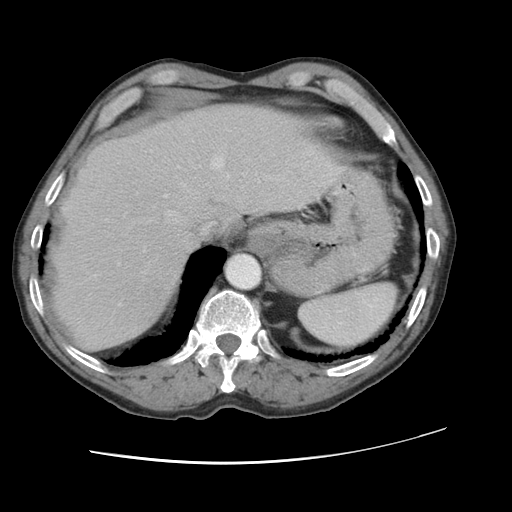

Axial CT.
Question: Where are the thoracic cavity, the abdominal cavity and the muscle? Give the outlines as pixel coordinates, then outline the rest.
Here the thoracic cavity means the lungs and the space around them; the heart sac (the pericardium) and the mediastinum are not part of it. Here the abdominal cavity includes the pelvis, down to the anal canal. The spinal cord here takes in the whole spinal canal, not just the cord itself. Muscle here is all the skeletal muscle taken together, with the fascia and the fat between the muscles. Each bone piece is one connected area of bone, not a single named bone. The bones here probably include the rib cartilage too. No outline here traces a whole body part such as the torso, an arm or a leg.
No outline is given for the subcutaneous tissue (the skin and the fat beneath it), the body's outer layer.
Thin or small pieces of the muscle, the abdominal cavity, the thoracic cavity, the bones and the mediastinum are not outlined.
Answer: The thoracic cavity appears in 3 outlined pieces: piece 1: (208, 246) (222, 248) (226, 252) (226, 257) (220, 272) (211, 282) (201, 301) (193, 326) (188, 331) (180, 348) (171, 355) (147, 364) (116, 366) (98, 359) (97, 356) (114, 354) (139, 342) (163, 325) (170, 317) (176, 298) (182, 288) (183, 277) (191, 256) (198, 250); piece 2: (412, 292) (411, 301) (405, 316) (395, 327) (389, 338) (373, 352) (352, 357) (336, 363) (326, 363) (297, 358) (288, 355) (282, 349) (290, 348) (316, 355) (337, 355) (351, 352) (356, 348) (365, 346) (369, 342) (375, 340) (388, 329) (392, 320) (406, 303) (408, 297); piece 3: (400, 162) (404, 162) (412, 174) (413, 180) (418, 190) (423, 205) (424, 212) (423, 228) (425, 232) (426, 255) (424, 259) (422, 272) (414, 290) (414, 283) (418, 277) (422, 262) (420, 224) (416, 217) (412, 204) (406, 192) (402, 189) (399, 182) (397, 170) (398, 164). The abdominal cavity is outlined by (171, 84) (310, 90) (305, 97) (315, 102) (276, 106) (314, 144) (402, 160) (396, 175) (419, 224) (421, 262) (383, 333) (337, 354) (281, 347) (260, 315) (256, 254) (212, 245) (190, 256) (169, 317) (139, 341) (96, 358) (56, 331) (38, 281) (50, 206) (94, 134). The muscle is outlined by (166, 62) (238, 81) (295, 62) (331, 65) (354, 78) (396, 121) (433, 179) (449, 233) (428, 319) (392, 362) (358, 384) (304, 406) (274, 407) (232, 392) (240, 361) (259, 362) (261, 352) (281, 357) (269, 333) (285, 354) (301, 360) (336, 364) (364, 355) (325, 368) (329, 377) (347, 376) (372, 363) (378, 357) (375, 351) (406, 316) (426, 256) (436, 260) (440, 252) (439, 235) (431, 226) (424, 228) (424, 207) (433, 204) (432, 195) (424, 179) (394, 150) (398, 141) (392, 125) (338, 78) (326, 78) (322, 86) (347, 104) (302, 88) (312, 79) (306, 70) (291, 72) (288, 87) (217, 88) (176, 83) (180, 72) (174, 68) (153, 72) (147, 79) (157, 86) (153, 89) (143, 94) (134, 85) (102, 108) (85, 149) (48, 188) (47, 218) (30, 235) (30, 247) (38, 255) (37, 277) (31, 274) (28, 279) (29, 297) (67, 342) (62, 346) (69, 355) (102, 374) (111, 373) (102, 362) (132, 367) (158, 361) (171, 366) (193, 355) (204, 368) (216, 355) (222, 393) (189, 409) (149, 409) (81, 376) (45, 344) (28, 315) (18, 275) (28, 215) (95, 105) (127, 78); inner edge: (421, 286) (425, 286) (426, 287) (426, 295) (425, 296) (425, 299) (424, 300) (423, 305) (419, 313) (415, 318) (412, 324) (408, 328) (406, 328) (406, 321) (407, 320) (407, 315) (412, 305) (412, 303) (414, 302) (414, 298) (416, 294) (418, 292) (418, 290). The bones appear in 12 outlined pieces: piece 1: (226, 288) (244, 294) (253, 302) (270, 342) (280, 354) (279, 358) (275, 358) (261, 351) (259, 361) (240, 360) (231, 376) (235, 387) (229, 393) (220, 388) (224, 376) (216, 354) (209, 357) (204, 367) (195, 361) (193, 354) (171, 365) (159, 362) (185, 343) (202, 301), around a hole outlined by (224, 334) (232, 334) (233, 335) (235, 335) (236, 336) (237, 336) (240, 339) (240, 343) (237, 347) (237, 348) (229, 354) (228, 354) (224, 351) (223, 351) (218, 346) (218, 345) (216, 342) (216, 338) (218, 336) (219, 336) (220, 335) (223, 335); piece 2: (330, 78) (335, 78) (344, 82) (378, 110) (391, 125) (395, 133) (397, 141) (397, 145) (395, 148) (391, 147) (380, 139) (376, 135) (375, 132) (366, 120) (357, 111) (351, 106) (348, 105) (347, 102) (336, 96) (334, 97) (328, 94) (325, 91) (323, 86) (323, 81); piece 3: (134, 86) (138, 86) (141, 88) (142, 90) (142, 95) (141, 97) (137, 101) (116, 116) (107, 125) (98, 130) (95, 130) (95, 128) (94, 127) (95, 126) (95, 122) (100, 112) (103, 109) (103, 108) (110, 102) (111, 102) (119, 94) (125, 90) (129, 88) (131, 88); piece 4: (374, 352) (377, 354) (377, 357) (372, 362) (360, 369) (358, 369) (351, 373) (349, 373) (347, 375) (344, 375) (343, 376) (329, 376) (327, 375) (324, 371) (325, 369) (329, 367) (338, 366) (344, 363) (350, 362) (355, 359) (358, 359) (367, 354) (373, 353); piece 5: (64, 343) (69, 344) (73, 346) (78, 350) (90, 356) (92, 356) (94, 358) (99, 360) (101, 362) (101, 363) (107, 368) (108, 371) (110, 373) (102, 373) (93, 368) (91, 368) (89, 366) (82, 363) (77, 359) (74, 358) (65, 350) (63, 346) (63, 344); piece 6: (164, 69) (174, 69) (175, 70) (177, 70) (179, 72) (179, 78) (178, 79) (178, 80) (175, 83) (171, 83) (170, 84) (164, 84) (163, 85) (154, 85) (149, 82) (148, 79) (149, 78) (149, 76) (150, 75) (151, 75) (153, 73) (155, 73) (160, 70) (163, 70); piece 7: (421, 286) (425, 286) (426, 287) (426, 295) (425, 296) (425, 299) (424, 300) (423, 305) (419, 313) (415, 318) (412, 324) (408, 328) (406, 328) (406, 321) (407, 320) (407, 315) (412, 305) (412, 303) (414, 302) (414, 298) (416, 294) (418, 292) (418, 290); piece 8: (31, 275) (33, 275) (37, 278) (37, 281) (38, 282) (38, 285) (39, 286) (39, 290) (40, 291) (41, 298) (43, 302) (43, 307) (44, 308) (44, 315) (43, 316) (41, 316) (40, 315) (40, 314) (34, 306) (30, 297) (30, 293) (29, 292) (29, 279); piece 9: (428, 227) (431, 227) (436, 232) (436, 233) (438, 235) (438, 237) (439, 238) (439, 252) (438, 253) (438, 256) (437, 257) (437, 258) (436, 259) (433, 259) (432, 258) (430, 258) (428, 256) (427, 256) (427, 243) (426, 242) (426, 232) (425, 231) (425, 230); piece 10: (297, 71) (306, 71) (308, 72) (311, 75) (311, 79) (309, 81) (309, 82) (308, 82) (305, 85) (304, 85) (301, 88) (299, 89) (294, 89) (293, 88) (290, 88) (287, 85) (286, 83) (288, 79) (288, 76) (291, 73) (293, 73); piece 11: (62, 171) (64, 171) (65, 172) (65, 179) (63, 182) (63, 184) (62, 185) (57, 196) (55, 198) (55, 199) (53, 201) (53, 202) (50, 205) (47, 206) (45, 204) (45, 196) (46, 195) (49, 188) (51, 186) (52, 183) (54, 181) (54, 180) (57, 177) (57, 176); piece 12: (416, 174) (419, 175) (423, 179) (428, 188) (428, 190) (431, 195) (431, 198) (432, 199) (432, 204) (430, 206) (424, 206) (423, 204) (423, 202) (422, 201) (422, 199) (421, 198) (419, 190) (416, 185) (416, 183) (414, 180) (414, 177) (413, 176) (413, 175) (415, 175). The spinal cord is outlined by (224, 334) (232, 334) (233, 335) (235, 335) (236, 336) (237, 336) (240, 339) (240, 343) (237, 347) (237, 348) (229, 354) (228, 354) (224, 351) (223, 351) (218, 346) (218, 345) (216, 342) (216, 338) (218, 336) (219, 336) (220, 335) (223, 335). The pericardium is outlined by (303, 103) (316, 103) (320, 105) (328, 105) (332, 108) (339, 110) (345, 114) (346, 116) (354, 120) (359, 125) (362, 135) (362, 142) (360, 149) (353, 153) (336, 153) (334, 151) (330, 151) (314, 143) (307, 136) (298, 119) (291, 113) (277, 106) (277, 104) (302, 104). The mediastinum appears in 2 outlined pieces: piece 1: (243, 248) (255, 254) (257, 259) (259, 260) (259, 264) (263, 272) (264, 280) (263, 293) (264, 294) (259, 304) (259, 310) (254, 302) (247, 295) (228, 287) (222, 288) (211, 295) (205, 297) (212, 282) (222, 270) (224, 262) (227, 257) (227, 252) (230, 253) (235, 249); piece 2: (312, 93) (317, 93) (321, 95) (327, 101) (351, 107) (365, 120) (375, 135) (393, 149) (395, 155) (368, 150) (363, 150) (359, 152) (363, 142) (363, 135) (360, 125) (354, 119) (346, 115) (339, 109) (332, 107) (328, 104) (320, 104) (308, 99) (306, 96).